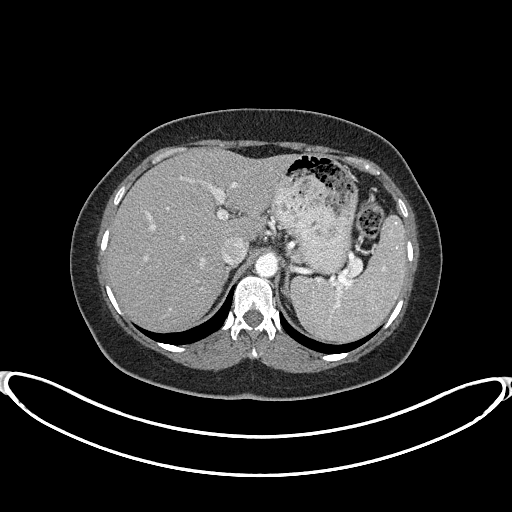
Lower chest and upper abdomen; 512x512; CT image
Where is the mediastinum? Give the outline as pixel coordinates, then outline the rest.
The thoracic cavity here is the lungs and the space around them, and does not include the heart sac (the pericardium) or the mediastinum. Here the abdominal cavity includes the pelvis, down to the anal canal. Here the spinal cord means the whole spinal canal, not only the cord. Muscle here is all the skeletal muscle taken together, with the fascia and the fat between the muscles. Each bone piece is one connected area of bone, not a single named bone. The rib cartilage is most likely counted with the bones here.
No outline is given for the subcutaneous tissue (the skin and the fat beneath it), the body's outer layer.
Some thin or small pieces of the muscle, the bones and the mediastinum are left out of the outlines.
{"mediastinum":[[[275,299],[274,296],[274,279],[275,278],[275,272],[276,271],[276,266],[277,265],[277,258],[274,254],[271,253],[264,253],[260,255],[257,258],[240,279],[243,276],[247,274],[253,274],[262,277],[265,279],[267,279],[272,286],[273,294]]],"muscle":[{"outer":[[291,373],[303,373],[304,372],[311,373],[312,372],[318,372],[322,370],[335,367],[344,363],[357,361],[360,357],[365,355],[374,349],[387,337],[392,334],[401,322],[408,305],[408,301],[411,295],[411,292],[413,287],[413,282],[414,281],[414,276],[417,270],[418,258],[419,257],[419,244],[417,239],[415,216],[413,210],[405,195],[395,184],[389,175],[381,167],[373,161],[339,149],[335,149],[331,147],[323,146],[322,145],[308,144],[304,142],[297,142],[296,141],[263,141],[262,140],[251,140],[250,139],[239,139],[238,140],[203,139],[202,140],[187,141],[178,145],[163,147],[151,153],[143,159],[119,183],[117,187],[111,194],[103,212],[99,227],[99,231],[96,238],[96,245],[97,246],[96,271],[97,272],[98,282],[100,285],[102,297],[105,301],[105,303],[112,316],[116,322],[129,335],[138,342],[144,346],[166,356],[173,361],[190,368],[201,369],[202,370],[214,370],[216,371],[232,366],[242,360],[248,358],[251,360],[257,359],[260,362],[267,366]],"holes":[[[326,361],[345,357],[381,327],[388,327],[403,303],[400,295],[407,262],[413,258],[403,223],[407,209],[375,176],[379,174],[376,168],[345,157],[363,171],[322,154],[273,145],[179,147],[157,155],[129,188],[118,189],[112,228],[105,230],[100,247],[106,251],[106,291],[118,313],[170,351],[183,351],[181,344],[219,328],[229,328],[234,340],[242,329],[252,337],[264,330],[272,340],[283,328],[298,342],[323,352]],[[250,358],[256,358],[258,356],[257,355],[257,353],[256,352],[256,350],[255,349],[255,348],[254,347],[253,347],[252,348],[252,349],[251,350],[251,352],[248,355],[248,356]]]}],"bones":[{"outer":[[234,340],[242,329],[246,330],[252,337],[259,331],[264,330],[268,334],[270,340],[273,339],[277,330],[282,330],[279,321],[279,312],[275,307],[272,289],[267,280],[257,276],[247,275],[236,284],[232,307],[220,328],[223,330],[229,328],[231,337]],"hole":[[251,326],[255,326],[256,325],[257,325],[261,321],[261,320],[262,319],[262,315],[257,310],[254,310],[253,309],[252,309],[251,310],[249,310],[246,313],[245,313],[245,314],[243,317],[244,318],[244,319],[245,320],[245,321],[249,325],[250,325]]},[[374,175],[378,175],[379,174],[379,171],[376,168],[375,168],[369,163],[368,163],[363,160],[361,160],[360,159],[357,159],[356,158],[353,158],[352,157],[345,157],[345,158],[347,160],[361,166],[367,171],[369,171],[372,174],[373,174]],[[383,328],[386,328],[388,327],[388,326],[396,317],[403,303],[403,299],[400,298],[398,300],[394,309],[390,314],[386,322],[383,325],[382,327]],[[121,315],[122,315],[123,314],[123,312],[120,309],[120,308],[113,295],[113,293],[111,290],[111,288],[108,284],[106,284],[105,287],[106,288],[106,291],[107,292],[107,294],[108,295],[113,306],[115,308],[115,309],[117,311],[117,312]],[[152,163],[155,163],[159,161],[162,158],[170,154],[172,154],[175,152],[177,152],[180,150],[183,150],[185,148],[184,147],[179,147],[178,148],[174,148],[168,151],[166,151],[163,153],[161,153],[157,155],[154,158],[152,159]],[[326,361],[333,361],[334,360],[337,360],[338,359],[340,359],[341,358],[342,358],[343,357],[345,357],[348,354],[348,353],[349,352],[343,352],[342,353],[337,353],[336,354],[324,354],[322,356],[322,358],[324,360],[325,360]],[[170,351],[183,351],[184,350],[184,347],[183,347],[182,346],[177,346],[176,345],[172,345],[171,344],[166,344],[165,343],[162,343],[161,342],[156,342],[157,343],[157,344],[158,345],[159,345],[161,347],[162,347],[167,350],[169,350]],[[114,205],[117,205],[119,203],[119,202],[120,201],[122,196],[124,194],[125,191],[127,189],[127,187],[126,186],[123,185],[122,186],[121,186],[118,189],[118,190],[117,191],[117,192],[114,197],[114,200],[113,201],[113,203],[114,204]],[[102,252],[103,252],[106,249],[106,247],[107,246],[107,241],[108,240],[108,237],[109,236],[109,229],[106,229],[105,230],[105,231],[103,234],[103,236],[102,237],[102,240],[101,241],[101,246],[100,247],[100,248],[101,249],[101,251]]],"abdominal_cavity":[[[332,344],[355,341],[381,327],[405,281],[408,261],[403,218],[375,176],[322,154],[273,145],[196,148],[162,159],[128,188],[110,230],[106,269],[121,309],[134,324],[167,333],[202,323],[217,311],[256,258],[271,252],[278,258],[277,309],[304,335]]],"torso":[[[265,401],[307,399],[353,389],[385,377],[403,363],[421,334],[437,296],[442,269],[438,224],[400,152],[383,136],[362,125],[330,114],[294,108],[228,108],[180,117],[136,140],[87,196],[70,242],[69,272],[74,297],[102,353],[126,374],[190,395]]],"spinal_cord":[[[251,326],[255,326],[256,325],[257,325],[261,321],[261,320],[262,319],[262,315],[257,310],[254,310],[253,309],[252,309],[251,310],[249,310],[246,313],[245,313],[245,314],[243,317],[244,318],[244,319],[245,320],[245,321],[249,325],[250,325]]],"thoracic_cavity":[[[177,345],[190,343],[203,338],[217,330],[222,325],[227,315],[227,313],[231,307],[234,286],[231,288],[222,306],[211,318],[202,324],[200,324],[198,326],[196,326],[184,332],[160,334],[155,332],[151,332],[135,325],[141,332],[156,341],[161,341]],[[324,353],[336,353],[343,351],[349,351],[364,343],[374,335],[380,328],[376,329],[367,336],[365,336],[355,342],[351,342],[348,344],[340,345],[323,344],[312,340],[295,330],[286,321],[283,315],[280,313],[281,324],[288,334],[298,342],[312,349]]]}